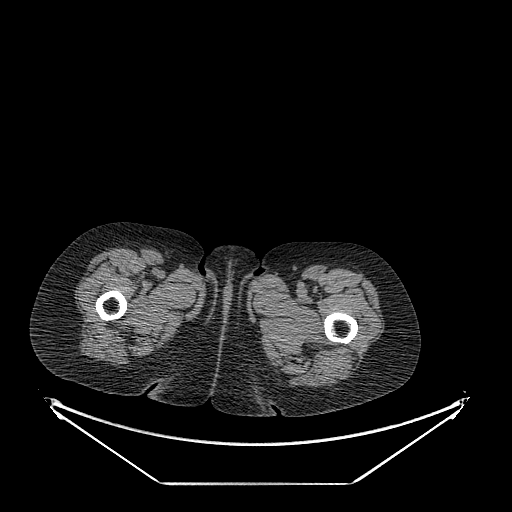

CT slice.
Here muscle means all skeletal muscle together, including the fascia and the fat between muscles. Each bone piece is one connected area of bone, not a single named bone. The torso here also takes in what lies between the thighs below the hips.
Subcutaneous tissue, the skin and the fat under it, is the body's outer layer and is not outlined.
The muscle appears in 2 outlined pieces: piece 1: 317,262 347,263 374,282 381,294 382,312 385,319 384,331 364,358 358,370 359,375 346,384 328,388 301,390 284,387 277,382 250,326 245,298 247,287 252,280 270,272 279,273 286,281 292,279 305,267 with a hole at 334,311 342,311 343,312 345,312 351,315 354,318 355,318 357,321 357,323 358,324 358,330 357,331 357,333 354,338 347,344 331,341 329,340 325,335 325,333 324,332 324,327 323,326 324,319 328,314; piece 2: 112,245 143,245 164,248 183,259 201,275 205,282 204,301 196,317 175,337 169,344 170,346 163,350 163,353 143,366 131,370 120,370 76,357 73,350 78,334 78,312 73,302 76,283 89,259 95,253 with a hole at 111,289 118,289 124,295 127,301 127,308 126,309 126,311 121,317 117,318 116,319 114,319 113,320 109,320 108,321 106,321 105,320 101,319 99,315 95,310 95,301 97,297 100,294 108,290 110,290. The left leg is outlined by 293,241 338,241 360,244 379,254 393,268 411,299 417,315 421,336 420,353 415,370 402,386 359,405 327,413 302,417 287,417 277,413 249,353 245,287 254,280 262,270 259,269 259,258 272,248. The torso is outlined by 223,244 238,244 248,247 258,257 258,275 244,287 247,348 277,414 274,416 242,416 224,413 213,408 209,399 200,406 187,407 166,404 147,396 205,320 211,286 204,270 204,259 206,253 209,253 214,247. The bones appear in 2 outlined pieces: piece 1: 334,311 342,311 343,312 345,312 351,315 354,318 355,318 357,321 357,323 358,324 358,330 357,331 357,333 354,338 347,344 331,341 329,340 325,335 325,333 324,332 324,327 323,326 324,319 328,314; piece 2: 111,289 118,289 124,295 127,301 127,308 126,309 126,311 121,317 117,318 116,319 114,319 113,320 109,320 108,321 106,321 105,320 101,319 99,315 95,310 95,301 97,297 100,294 108,290 110,290. The right leg is outlined by 117,221 138,222 183,231 192,236 205,252 203,261 198,265 201,272 204,272 210,286 204,320 147,395 125,396 104,393 62,379 42,365 36,357 29,340 28,327 31,309 40,283 50,265 81,233 100,224.